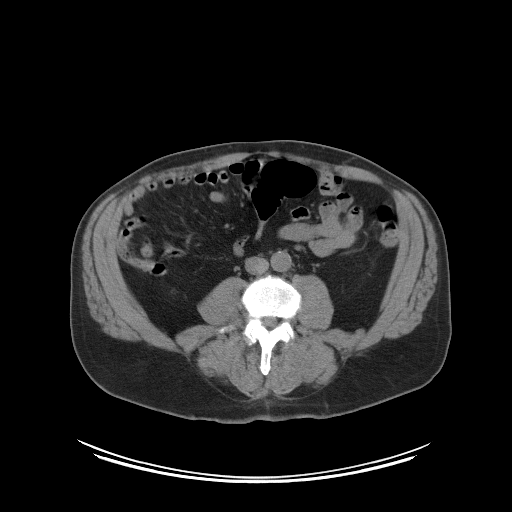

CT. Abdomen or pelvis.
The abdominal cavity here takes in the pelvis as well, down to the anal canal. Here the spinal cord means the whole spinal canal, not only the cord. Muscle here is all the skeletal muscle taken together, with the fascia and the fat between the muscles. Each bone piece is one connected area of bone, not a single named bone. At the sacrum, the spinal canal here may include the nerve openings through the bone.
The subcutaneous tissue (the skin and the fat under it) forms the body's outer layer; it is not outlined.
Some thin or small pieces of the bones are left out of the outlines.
{"spinal_cord":[[[267,316],[270,316],[271,317],[274,317],[275,318],[277,318],[278,319],[278,323],[273,328],[272,328],[271,329],[268,329],[267,328],[266,328],[263,325],[263,324],[262,323],[262,321],[261,320],[261,318],[262,317],[266,317]]],"torso":[[[276,139],[315,142],[361,155],[413,185],[430,202],[444,231],[450,275],[452,331],[440,371],[417,390],[325,419],[254,420],[241,424],[191,420],[106,393],[82,368],[73,349],[69,326],[71,247],[77,225],[87,207],[106,188],[158,157],[223,142]]],"muscle":[{"outer":[[272,150],[306,157],[314,156],[321,161],[361,168],[379,177],[389,179],[413,194],[422,204],[436,234],[437,281],[435,290],[418,325],[409,333],[400,337],[383,338],[363,355],[349,357],[334,379],[320,391],[296,398],[267,396],[251,401],[235,401],[200,376],[182,354],[147,345],[144,341],[118,339],[102,330],[101,326],[90,315],[86,301],[82,276],[82,239],[89,218],[100,202],[109,194],[146,174],[230,153]],"holes":[[[256,154],[377,184],[391,194],[401,226],[367,330],[331,327],[324,281],[292,276],[301,295],[289,320],[294,337],[272,348],[266,375],[259,343],[249,345],[242,333],[243,278],[214,286],[196,305],[205,322],[172,338],[132,293],[116,253],[134,191]],[[223,326],[232,326],[231,327],[231,328],[229,330],[228,330],[227,331],[226,331],[225,332],[223,332],[222,333],[220,333],[218,331],[218,330],[219,329],[219,328],[220,328],[221,327],[222,327]]]}],"abdominal_cavity":[[[256,154],[298,160],[321,173],[377,184],[391,194],[401,236],[379,314],[367,330],[330,326],[334,305],[326,284],[313,273],[296,273],[291,282],[270,273],[248,283],[228,276],[197,303],[205,322],[174,338],[151,321],[132,293],[116,253],[130,195]]],"bones":[{"outer":[[268,274],[281,277],[291,283],[300,293],[301,301],[300,308],[289,320],[294,330],[294,337],[287,342],[279,340],[275,344],[271,351],[269,372],[264,375],[259,368],[261,359],[259,343],[257,341],[249,345],[242,333],[248,314],[241,297],[249,283]],"hole":[[267,316],[270,316],[271,317],[274,317],[275,318],[277,318],[278,319],[278,323],[273,328],[272,328],[271,329],[268,329],[267,328],[266,328],[263,325],[263,324],[262,323],[262,321],[261,320],[261,318],[262,317],[266,317]]}]}